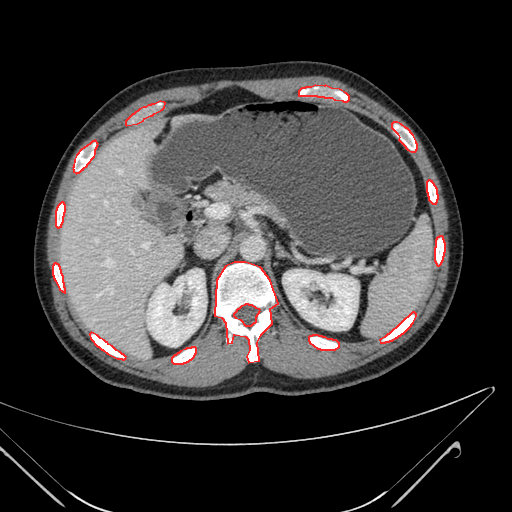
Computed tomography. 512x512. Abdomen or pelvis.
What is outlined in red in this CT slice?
red: bones.
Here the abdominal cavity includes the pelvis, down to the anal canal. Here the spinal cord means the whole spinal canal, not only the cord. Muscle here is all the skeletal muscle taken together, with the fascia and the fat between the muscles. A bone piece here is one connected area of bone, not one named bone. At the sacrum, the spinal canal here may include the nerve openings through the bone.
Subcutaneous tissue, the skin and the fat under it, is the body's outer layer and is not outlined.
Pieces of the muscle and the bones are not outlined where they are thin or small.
The bones appear in 13 outlined pieces: piece 1: 248 362; 259 360; 257 342; 261 334; 272 323; 270 308; 278 303; 270 280; 260 267; 245 262; 234 262; 225 266; 216 280; 214 315; 221 317; 225 322; 227 343; 232 342; 234 334; 245 336; 248 339; 249 350; 246 356 with a hole at 245 325; 251 325; 254 322; 255 322; 256 321; 256 316; 260 310; 259 309; 256 308; 252 305; 249 305; 248 304; 245 304; 244 305; 241 306; 238 309; 237 309; 236 310; 236 311; 233 314; 233 315; 235 317; 240 319; piece 2: 343 101; 347 101; 349 99; 349 96; 346 93; 339 89; 331 88; 325 85; 324 86; 315 85; 311 87; 305 87; 304 88; 301 88; 298 91; 298 95; 316 95; 317 96; 323 96; 324 97; 331 97; 334 99; 342 100; piece 3: 76 173; 77 172; 79 172; 82 169; 83 169; 83 168; 87 165; 87 164; 94 156; 95 154; 95 149; 98 144; 95 140; 94 141; 92 141; 89 144; 81 149; 76 155; 74 159; 73 167; 72 168; 73 169; 73 171; piece 4: 126 125; 137 123; 143 120; 144 118; 150 115; 152 115; 154 113; 162 109; 164 107; 165 103; 164 102; 160 101; 154 104; 151 104; 150 105; 148 105; 145 107; 143 107; 139 109; 133 114; 132 114; 125 121; 125 124; piece 5: 411 151; 415 151; 417 148; 417 144; 416 143; 416 141; 413 135; 407 128; 406 128; 401 124; 397 122; 393 122; 391 124; 391 127; 397 133; 399 137; 398 139; 405 146; 405 147; 407 149; piece 6: 380 342; 385 342; 386 341; 389 341; 390 340; 392 340; 396 337; 397 337; 399 335; 400 335; 402 333; 403 333; 411 325; 411 324; 413 322; 416 316; 416 314; 414 312; 412 312; 388 334; 387 334; 384 337; 380 339; 379 340; piece 7: 320 349; 335 349; 339 346; 339 343; 336 340; 333 340; 332 339; 328 339; 325 337; 323 337; 322 336; 319 336; 318 335; 312 335; 311 336; 309 336; 308 337; 308 340; 309 341; 309 342; 317 348; 319 348; piece 8: 122 359; 124 359; 126 357; 123 354; 122 354; 120 352; 116 350; 112 346; 108 344; 107 342; 106 342; 104 340; 100 338; 97 335; 91 332; 89 334; 90 338; 97 346; 98 346; 101 349; 102 349; 107 353; 117 358; 121 358; piece 9: 173 363; 183 363; 184 362; 186 362; 187 361; 188 361; 190 359; 191 359; 194 356; 194 355; 196 352; 196 348; 195 347; 191 347; 190 348; 186 348; 185 349; 180 351; 178 353; 177 353; 175 355; 174 355; 171 358; 171 361; piece 10: 437 265; 439 265; 441 263; 441 262; 443 259; 443 256; 444 255; 444 252; 445 251; 445 243; 444 242; 444 240; 443 239; 443 237; 442 236; 439 236; 438 237; 437 237; 435 240; 435 247; 434 248; 434 260; 435 261; 435 262; piece 11: 64 292; 65 292; 65 288; 64 287; 64 283; 63 282; 63 276; 61 273; 61 270; 60 269; 60 267; 58 264; 57 264; 56 263; 54 263; 52 266; 52 274; 53 275; 53 277; 54 278; 54 279; 55 280; 59 289; piece 12: 432 203; 436 203; 436 202; 437 201; 437 199; 438 198; 438 195; 437 194; 437 189; 436 188; 436 187; 434 185; 434 184; 432 182; 432 181; 431 181; 430 180; 428 180; 426 182; 426 191; 427 192; 427 195; 428 196; 428 199; piece 13: 57 227; 59 227; 60 226; 61 226; 61 224; 62 223; 62 222; 63 221; 63 216; 64 215; 64 212; 65 211; 65 205; 64 204; 64 203; 63 202; 61 202; 57 206; 57 207; 56 208; 56 210; 55 211; 55 225. The torso is outlined by 192 401; 253 392; 300 396; 374 379; 417 353; 448 311; 463 261; 463 229; 450 178; 416 121; 355 71; 322 61; 287 60; 187 67; 150 75; 104 102; 77 131; 56 165; 41 203; 33 245; 35 288; 52 330; 70 355; 104 382. The abdominal cavity is outlined by 145 360; 176 353; 202 333; 214 314; 217 275; 234 261; 260 266; 286 313; 333 339; 384 336; 414 311; 431 277; 435 236; 422 177; 396 133; 355 104; 316 96; 260 97; 232 86; 101 142; 72 184; 59 264; 66 293; 86 328. The muscle is outlined by 188 387; 206 387; 216 385; 238 374; 250 364; 261 365; 274 372; 285 374; 295 378; 319 378; 324 376; 334 375; 363 365; 393 350; 405 342; 430 318; 441 300; 448 278; 448 261; 449 260; 448 214; 445 207; 445 201; 440 182; 431 165; 425 150; 414 131; 399 116; 377 101; 356 89; 350 87; 345 83; 337 79; 322 75; 285 77; 272 79; 254 79; 253 80; 219 80; 197 85; 171 87; 167 89; 151 92; 141 96; 114 114; 77 147; 69 159; 63 173; 49 217; 46 239; 46 253; 51 283; 51 291; 54 307; 59 315; 59 318; 65 329; 74 340; 77 341; 105 363; 123 371; 141 377; 155 380; 162 383 with a hole at 173 363; 194 356; 196 348; 186 347; 214 315; 225 322; 225 341; 245 336; 246 360; 257 362; 257 342; 272 323; 270 308; 278 305; 277 296; 290 317; 321 335; 308 337; 320 349; 337 348; 337 339; 381 337; 385 342; 403 333; 416 316; 433 261; 439 265; 445 251; 443 237; 434 235; 428 205; 436 203; 437 189; 430 180; 424 185; 404 149; 417 148; 411 132; 397 122; 389 127; 349 103; 343 91; 325 85; 301 88; 297 96; 262 97; 232 86; 164 112; 161 101; 143 107; 125 121; 130 127; 81 149; 67 204; 61 202; 55 211; 55 225; 62 229; 53 277; 101 349; 122 359; 125 354; 146 360; 175 353. The spinal cord is outlined by 245 325; 251 325; 254 322; 255 322; 256 321; 256 316; 260 310; 259 309; 256 308; 252 305; 249 305; 248 304; 245 304; 244 305; 241 306; 238 309; 237 309; 236 310; 236 311; 233 314; 233 315; 235 317; 240 319.